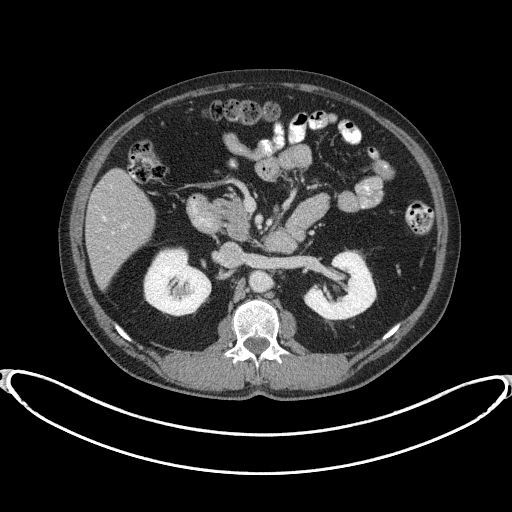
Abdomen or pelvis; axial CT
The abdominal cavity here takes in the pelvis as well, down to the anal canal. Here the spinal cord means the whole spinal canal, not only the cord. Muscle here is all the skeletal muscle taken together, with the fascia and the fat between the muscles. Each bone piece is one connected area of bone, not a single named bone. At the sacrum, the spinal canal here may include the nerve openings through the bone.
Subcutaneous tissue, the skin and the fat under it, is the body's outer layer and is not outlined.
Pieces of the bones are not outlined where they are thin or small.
The bones appear in 3 outlined pieces: piece 1: 256 368; 263 359; 274 359; 280 363; 280 356; 282 354; 291 354; 277 341; 279 319; 276 309; 262 299; 248 300; 236 308; 232 317; 232 328; 236 336; 236 341; 235 344; 223 354; 225 357; 231 357; 234 364; 239 360; 251 359, around a hole outlined by 255 354; 259 354; 263 350; 264 350; 268 346; 268 345; 269 344; 269 343; 268 342; 268 341; 265 338; 261 338; 260 337; 250 337; 249 338; 248 338; 244 342; 244 345; 249 350; 250 350; 252 352; 253 352; piece 2: 382 341; 383 341; 384 340; 385 340; 387 338; 388 338; 391 335; 392 335; 398 329; 398 328; 400 326; 400 322; 398 322; 397 323; 396 323; 391 328; 390 328; 381 337; 381 340; piece 3: 131 342; 132 341; 132 339; 128 335; 128 334; 116 322; 114 322; 114 326; 115 327; 115 328; 116 329; 116 330; 118 332; 118 333; 121 336; 122 336; 125 339; 126 339; 128 341; 130 341. The torso is outlined by 280 401; 359 388; 397 363; 435 327; 448 305; 457 272; 459 209; 446 170; 424 135; 397 109; 365 89; 331 75; 293 68; 206 73; 136 101; 89 146; 60 211; 61 277; 80 322; 104 353; 131 376; 199 397; 244 400; 263 395. The muscle is outlined by 206 391; 222 391; 226 389; 236 390; 241 389; 246 386; 251 386; 252 385; 257 385; 258 386; 263 385; 266 387; 269 387; 271 389; 276 390; 281 389; 316 390; 335 385; 346 380; 368 362; 380 357; 391 350; 413 327; 427 307; 428 303; 437 287; 437 284; 443 270; 445 255; 446 254; 446 248; 447 247; 447 241; 448 240; 448 218; 443 198; 441 184; 431 161; 422 148; 405 131; 388 119; 379 115; 375 111; 364 104; 335 91; 320 86; 305 84; 304 83; 292 83; 291 82; 254 82; 253 83; 247 83; 246 82; 238 82; 237 83; 228 83; 227 84; 218 84; 217 85; 206 86; 190 90; 173 97; 170 97; 154 105; 148 110; 136 115; 116 129; 103 142; 88 162; 85 171; 77 187; 72 204; 72 209; 69 221; 69 236; 71 245; 71 253; 75 269; 78 276; 78 282; 88 304; 91 307; 94 314; 94 317; 96 319; 98 325; 104 331; 106 335; 115 344; 119 346; 122 350; 127 354; 144 363; 165 380; 181 386, around a hole outlined by 256 368; 291 354; 277 341; 281 307; 311 351; 356 351; 388 338; 421 300; 441 233; 425 178; 397 137; 348 103; 278 84; 192 97; 146 116; 110 152; 82 227; 92 288; 121 336; 201 350; 230 314; 236 341; 223 355. The abdominal cavity is outlined by 320 352; 365 347; 408 315; 425 292; 437 221; 425 178; 407 148; 348 103; 278 84; 192 97; 146 116; 114 146; 86 202; 82 246; 102 307; 134 339; 201 350; 217 339; 223 317; 262 298; 278 312; 289 310; 297 322; 294 337. The spinal cord is outlined by 255 354; 259 354; 263 350; 264 350; 268 346; 268 345; 269 344; 269 343; 268 342; 268 341; 265 338; 261 338; 260 337; 250 337; 249 338; 248 338; 244 342; 244 345; 249 350; 250 350; 252 352; 253 352.